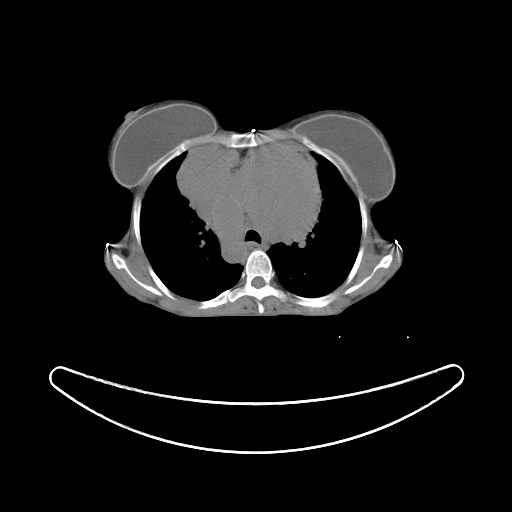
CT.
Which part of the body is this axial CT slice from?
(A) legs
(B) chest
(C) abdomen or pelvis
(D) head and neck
(B) chest
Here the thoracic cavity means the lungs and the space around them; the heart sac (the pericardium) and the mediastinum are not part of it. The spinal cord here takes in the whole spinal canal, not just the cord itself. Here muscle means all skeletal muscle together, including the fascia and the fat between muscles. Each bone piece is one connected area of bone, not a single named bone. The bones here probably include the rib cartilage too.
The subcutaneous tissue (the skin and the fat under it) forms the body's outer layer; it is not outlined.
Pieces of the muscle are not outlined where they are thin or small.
The thoracic cavity appears in 2 outlined pieces: piece 1: [[286,139],[301,143],[308,150],[331,163],[348,185],[357,200],[359,208],[360,240],[353,264],[344,280],[336,288],[320,296],[309,297],[296,294],[285,289],[278,282],[268,254],[272,242],[249,218],[248,202],[251,195],[253,171],[260,152],[260,145]]; piece 2: [[204,143],[218,144],[235,150],[236,161],[225,173],[224,183],[214,203],[211,217],[221,259],[227,264],[239,264],[243,268],[238,281],[234,285],[209,299],[198,301],[171,291],[155,272],[142,244],[140,219],[142,203],[153,178],[170,161],[192,147]]. The bones appear in 8 outlined pieces: piece 1: [[255,249],[262,250],[269,256],[277,282],[284,290],[309,298],[336,291],[336,297],[323,307],[312,308],[269,295],[261,300],[264,309],[261,314],[258,311],[257,300],[250,295],[199,309],[197,305],[200,301],[217,296],[239,281],[246,260]] with a hole at [[255,277],[261,277],[263,279],[263,280],[264,281],[264,284],[261,287],[255,287],[253,285],[252,285],[252,280]]; piece 2: [[252,131],[256,134],[271,134],[276,132],[284,133],[288,135],[285,139],[278,139],[272,142],[242,148],[228,147],[222,144],[209,142],[196,144],[170,160],[152,179],[152,171],[173,153],[184,140],[189,140],[199,135],[229,136],[232,133],[247,133]]; piece 3: [[112,253],[115,253],[120,256],[125,261],[125,263],[130,271],[140,281],[155,288],[157,286],[148,270],[148,264],[150,264],[154,272],[167,288],[174,294],[176,298],[172,299],[164,294],[157,295],[138,284],[129,276],[123,268],[116,267],[111,257]]; piece 4: [[294,133],[296,133],[299,135],[304,135],[315,143],[324,152],[330,156],[333,160],[340,166],[341,169],[346,175],[348,179],[348,184],[345,181],[337,168],[331,162],[323,156],[317,154],[313,151],[308,149],[301,142],[300,142],[299,140],[292,136]]; piece 5: [[136,196],[139,196],[142,200],[142,202],[141,203],[141,209],[140,210],[140,218],[139,219],[139,230],[140,231],[140,237],[141,238],[142,249],[140,248],[137,243],[135,232],[134,231],[133,225],[132,224],[132,205],[133,204],[134,198]]; piece 6: [[392,251],[392,260],[388,267],[380,267],[378,268],[374,272],[373,275],[360,287],[355,289],[353,291],[347,294],[344,294],[343,293],[343,292],[347,288],[355,284],[357,284],[360,282],[372,271],[373,268],[379,262],[383,256],[390,253]]; piece 7: [[359,192],[361,193],[361,195],[363,198],[363,200],[365,203],[366,209],[367,210],[367,228],[366,229],[366,232],[365,233],[365,236],[364,237],[361,237],[361,214],[360,213],[360,208],[359,207],[359,204],[358,203],[358,200],[357,199]]; piece 8: [[361,244],[363,246],[363,253],[361,257],[361,260],[360,261],[359,266],[354,276],[352,278],[350,282],[348,284],[344,286],[343,285],[343,282],[347,277],[350,270],[352,268],[354,264],[354,262],[356,259],[356,257],[358,253],[359,247]]. The breast implant appears in 2 outlined pieces: piece 1: [[183,104],[194,105],[208,110],[213,115],[216,121],[217,130],[211,134],[199,134],[189,139],[184,139],[170,151],[156,160],[137,184],[131,186],[125,186],[121,184],[118,181],[113,168],[114,145],[120,134],[136,118],[144,115],[151,110]]; piece 2: [[328,116],[339,116],[348,119],[363,121],[367,123],[379,135],[386,148],[393,168],[393,188],[387,196],[377,200],[372,200],[358,182],[356,177],[348,166],[337,154],[304,134],[300,132],[295,132],[293,130],[295,127],[302,123],[320,117]]. The muscle appears in 4 outlined pieces: piece 1: [[316,143],[330,150],[343,161],[371,199],[368,204],[371,234],[393,246],[399,253],[399,260],[396,267],[375,287],[353,297],[333,312],[264,314],[262,300],[269,296],[282,302],[290,301],[296,305],[312,309],[327,306],[338,295],[338,292],[334,290],[342,283],[344,287],[351,282],[362,260],[364,246],[360,244],[360,241],[366,236],[368,228],[366,203],[360,191],[357,197],[354,195],[349,186],[349,179],[341,166]], around a hole outlined by [[392,251],[392,260],[388,267],[380,267],[378,268],[374,272],[373,275],[360,287],[355,289],[353,291],[347,294],[344,294],[343,293],[343,292],[347,288],[355,284],[357,284],[360,282],[372,271],[373,268],[379,262],[383,256],[390,253]]; piece 2: [[132,225],[136,243],[141,250],[143,248],[149,262],[147,270],[156,287],[140,280],[117,253],[112,252],[110,257],[115,267],[123,269],[138,285],[157,296],[164,295],[172,300],[177,298],[175,294],[195,300],[198,302],[196,307],[199,310],[214,308],[228,302],[232,303],[243,296],[250,296],[256,300],[258,313],[188,314],[168,308],[155,299],[140,296],[128,289],[110,268],[107,248],[121,247],[127,242],[130,239]]; piece 3: [[177,145],[178,145],[176,149],[151,171],[151,181],[145,192],[143,199],[142,199],[139,195],[136,195],[135,196],[136,188],[134,186],[137,185],[141,181],[143,177],[148,172],[148,171],[152,167],[153,164],[156,161],[163,157],[167,153],[170,152]]; piece 4: [[288,128],[291,128],[292,129],[294,132],[291,136],[297,140],[293,140],[288,138],[289,135],[287,133],[285,133],[284,132],[279,132],[278,131],[276,131],[271,133],[265,133],[272,131],[273,130],[276,130],[277,129],[287,129]]. The mediastinum is outlined by [[257,146],[259,146],[259,152],[252,171],[247,211],[248,218],[271,242],[271,246],[267,253],[259,248],[253,249],[248,254],[243,266],[239,263],[227,263],[222,259],[212,216],[215,203],[225,183],[226,173],[237,161],[238,158],[235,149],[252,148]]. The spinal cord is outlined by [[255,277],[261,277],[263,279],[263,280],[264,281],[264,284],[261,287],[255,287],[253,285],[252,285],[252,280]]. The torso is outlined by [[170,98],[202,103],[224,128],[239,132],[328,108],[369,118],[388,140],[396,169],[392,191],[371,215],[381,235],[402,248],[400,268],[374,293],[325,317],[180,317],[128,295],[103,261],[105,247],[127,229],[132,202],[109,170],[108,144],[126,112]].